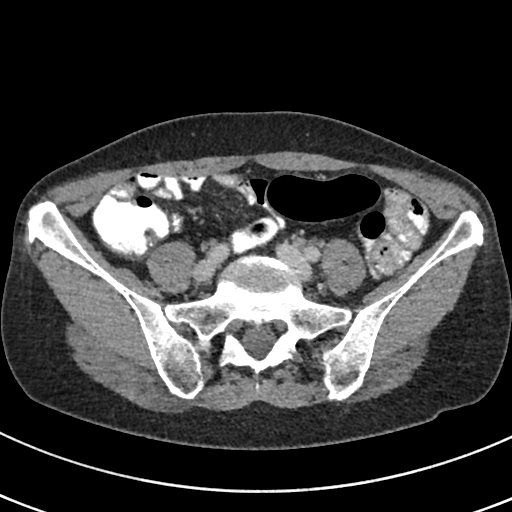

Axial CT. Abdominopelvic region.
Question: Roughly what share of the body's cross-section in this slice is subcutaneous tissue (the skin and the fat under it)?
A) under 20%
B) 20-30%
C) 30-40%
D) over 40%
Answer: C) 30-40%
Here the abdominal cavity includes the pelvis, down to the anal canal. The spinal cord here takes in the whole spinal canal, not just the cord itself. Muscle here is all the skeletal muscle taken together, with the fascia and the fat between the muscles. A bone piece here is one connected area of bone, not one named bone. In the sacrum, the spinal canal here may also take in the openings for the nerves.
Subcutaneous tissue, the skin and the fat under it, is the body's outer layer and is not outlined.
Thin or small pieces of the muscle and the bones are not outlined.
{"bones":[{"outer":[[45,200],[98,264],[162,307],[210,296],[228,264],[260,255],[293,270],[306,298],[354,316],[401,286],[462,211],[483,243],[397,300],[345,399],[328,399],[320,362],[348,324],[258,375],[219,367],[216,336],[186,399],[127,300],[28,241],[28,209]],"holes":[[[234,320],[247,321],[249,324],[256,324],[257,325],[258,324],[269,322],[273,320],[280,320],[285,323],[287,329],[282,334],[279,335],[273,342],[270,349],[267,352],[265,356],[261,359],[257,359],[249,354],[245,349],[244,345],[228,330],[228,325]],[[180,324],[185,324],[191,330],[192,330],[192,331],[194,333],[194,336],[195,337],[195,340],[194,341],[193,341],[192,340],[191,340],[189,338],[188,338],[187,337],[184,336],[181,333],[180,333],[176,329],[176,328],[174,326],[174,325],[179,325]]]}],"abdominal_cavity":[{"outer":[[248,161],[274,170],[365,169],[419,197],[447,226],[401,273],[349,307],[306,297],[293,269],[260,254],[228,263],[210,295],[167,302],[160,291],[190,287],[196,253],[189,243],[172,240],[149,251],[155,287],[112,265],[76,219],[132,172],[204,176]],"hole":[[333,238],[345,239],[352,243],[359,251],[359,253],[363,259],[366,270],[365,277],[363,279],[363,281],[361,284],[353,291],[349,291],[344,295],[335,295],[330,289],[326,286],[325,277],[323,275],[322,269],[320,267],[322,252],[326,245],[326,243]]}],"muscle":[[[286,150],[419,170],[457,184],[479,202],[490,230],[489,244],[474,258],[453,309],[432,331],[425,360],[413,377],[389,393],[350,404],[324,402],[281,408],[258,400],[230,411],[195,407],[183,413],[166,413],[140,407],[80,370],[64,339],[65,324],[71,320],[23,250],[27,211],[26,239],[30,244],[37,239],[88,270],[130,305],[156,371],[171,394],[192,400],[203,389],[202,354],[211,354],[216,337],[219,368],[247,367],[258,376],[292,361],[301,340],[313,342],[346,325],[337,342],[321,352],[321,380],[329,401],[343,401],[363,384],[380,328],[398,300],[441,261],[484,243],[484,225],[473,209],[458,214],[444,239],[401,285],[354,315],[351,306],[382,282],[401,274],[448,226],[419,196],[365,168],[274,169],[248,160],[204,175],[167,175],[151,170],[126,174],[75,223],[112,266],[131,270],[155,288],[158,286],[146,265],[150,251],[172,241],[189,244],[195,253],[189,287],[176,294],[160,290],[166,302],[163,306],[131,289],[98,263],[54,201],[32,203],[55,185],[99,171]],[[333,238],[345,239],[352,243],[359,251],[359,253],[363,259],[366,270],[365,277],[363,279],[363,281],[361,284],[353,291],[349,291],[344,295],[335,295],[330,289],[326,286],[325,277],[323,275],[322,269],[320,267],[322,252],[326,245],[326,243]],[[180,324],[185,324],[191,330],[192,330],[192,331],[194,333],[194,336],[195,337],[195,340],[194,341],[193,341],[192,340],[191,340],[189,338],[188,338],[187,337],[184,336],[181,333],[180,333],[176,329],[176,328],[174,326],[174,325],[179,325]]],"torso":[[[273,110],[314,113],[357,125],[454,169],[482,190],[495,217],[511,290],[507,351],[490,390],[473,404],[405,429],[335,444],[277,450],[208,448],[151,439],[73,417],[29,398],[4,354],[0,308],[16,212],[32,185],[65,163],[161,121],[206,112]]],"spinal_cord":[[[234,320],[247,321],[249,324],[256,324],[257,325],[258,324],[269,322],[273,320],[280,320],[285,323],[287,329],[282,334],[279,335],[273,342],[270,349],[267,352],[265,356],[261,359],[257,359],[249,354],[245,349],[244,345],[228,330],[228,325]]]}